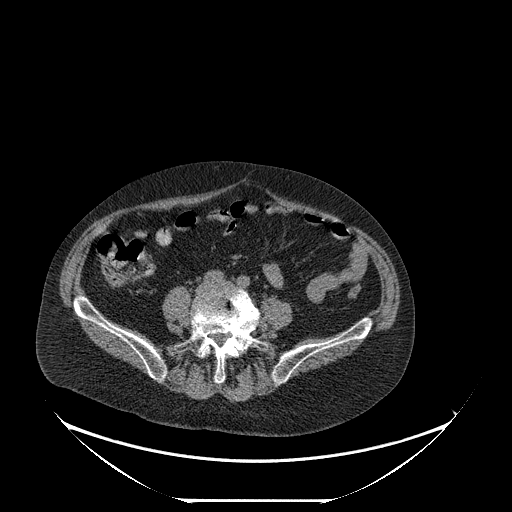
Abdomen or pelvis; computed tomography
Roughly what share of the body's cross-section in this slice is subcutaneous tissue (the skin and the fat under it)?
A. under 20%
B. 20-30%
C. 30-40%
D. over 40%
Answer: C. 30-40%
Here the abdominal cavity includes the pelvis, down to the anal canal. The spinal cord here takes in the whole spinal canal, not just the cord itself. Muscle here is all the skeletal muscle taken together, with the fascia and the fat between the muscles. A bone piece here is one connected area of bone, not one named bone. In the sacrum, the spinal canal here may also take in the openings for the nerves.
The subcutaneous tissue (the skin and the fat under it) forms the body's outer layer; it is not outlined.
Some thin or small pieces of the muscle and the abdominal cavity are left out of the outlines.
{"torso":[[[209,159],[271,164],[322,179],[359,202],[395,244],[407,269],[414,296],[414,345],[398,384],[364,413],[324,430],[294,436],[187,429],[150,422],[55,386],[41,372],[35,355],[35,329],[41,293],[50,261],[68,232],[91,209],[134,179],[171,165]]],"bones":[{"outer":[[232,287],[246,291],[258,307],[260,317],[251,334],[268,344],[263,350],[249,347],[238,357],[228,357],[224,363],[225,379],[216,383],[213,379],[216,359],[212,354],[198,357],[195,342],[180,349],[174,348],[174,345],[190,334],[194,299],[212,290]],"hole":[[217,333],[221,333],[222,334],[225,334],[226,335],[227,334],[228,334],[229,335],[229,336],[228,336],[225,339],[225,340],[222,344],[222,345],[218,345],[215,341],[214,338],[212,336],[211,336],[211,335],[214,335]]},[[79,293],[84,294],[101,314],[110,322],[123,329],[128,330],[136,335],[145,338],[152,342],[159,349],[160,354],[167,367],[167,375],[162,383],[158,383],[148,375],[140,358],[125,342],[102,327],[91,321],[83,319],[75,313],[72,306],[72,300]],[[366,315],[372,319],[373,323],[368,334],[363,339],[352,340],[349,342],[325,349],[315,355],[307,358],[291,374],[289,379],[285,383],[277,387],[274,386],[270,376],[270,373],[273,366],[284,351],[290,349],[296,345],[316,343],[335,337]]],"abdominal_cavity":[[[242,185],[355,232],[377,270],[380,299],[346,329],[278,344],[274,334],[293,319],[287,301],[269,297],[258,306],[235,286],[192,299],[176,285],[161,311],[177,339],[154,341],[105,317],[86,295],[81,278],[90,245],[121,216],[197,205]]],"spinal_cord":[[[217,333],[221,333],[222,334],[225,334],[226,335],[227,334],[228,334],[229,335],[229,336],[228,336],[225,339],[225,340],[222,344],[222,345],[218,345],[215,341],[214,338],[212,336],[211,336],[211,335],[214,335]]],"muscle":[[[176,286],[185,287],[193,300],[189,334],[176,342],[173,348],[180,350],[195,343],[194,354],[198,358],[212,355],[215,359],[212,379],[216,384],[222,384],[226,379],[225,363],[228,358],[238,358],[249,348],[263,351],[268,346],[267,340],[252,334],[261,317],[260,304],[265,299],[273,298],[287,302],[291,307],[291,321],[273,334],[271,341],[278,345],[297,343],[309,337],[325,338],[338,334],[316,342],[296,344],[284,350],[269,373],[273,386],[275,388],[281,386],[260,399],[231,403],[219,393],[206,399],[186,398],[158,384],[162,384],[168,375],[168,367],[160,349],[145,337],[109,320],[135,329],[154,342],[177,340],[178,336],[169,329],[162,311],[165,296]],[[242,180],[260,184],[282,197],[316,207],[345,221],[294,209],[253,184],[239,185],[197,204],[160,210],[138,209],[124,213],[104,227],[92,239],[81,270],[80,284],[85,294],[77,293],[71,300],[71,306],[78,317],[95,324],[125,343],[139,358],[147,375],[157,383],[151,381],[138,369],[94,344],[82,330],[72,312],[63,305],[59,294],[59,278],[65,258],[85,229],[95,220],[122,208],[171,197],[205,193]],[[348,224],[356,226],[372,237],[385,250],[394,266],[400,287],[400,301],[395,320],[389,329],[374,333],[351,354],[290,379],[292,374],[307,359],[325,350],[352,341],[363,340],[372,329],[374,321],[367,314],[380,303],[380,276],[371,253]]]}